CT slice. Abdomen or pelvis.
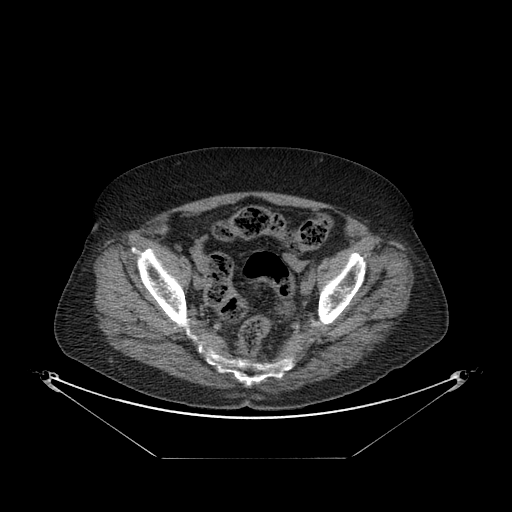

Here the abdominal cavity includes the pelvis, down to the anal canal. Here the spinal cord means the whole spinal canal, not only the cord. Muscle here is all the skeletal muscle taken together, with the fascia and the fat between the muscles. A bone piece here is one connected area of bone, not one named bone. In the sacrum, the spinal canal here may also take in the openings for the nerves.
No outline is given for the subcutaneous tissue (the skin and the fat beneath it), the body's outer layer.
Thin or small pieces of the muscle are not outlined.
{"bones":[[[132,246],[141,251],[151,248],[181,285],[190,330],[205,348],[210,347],[228,358],[253,362],[273,362],[293,356],[293,367],[281,378],[269,376],[250,387],[231,372],[217,371],[198,352],[184,328],[167,315],[144,286],[137,268],[138,256],[131,251]],[[353,252],[357,252],[361,255],[366,254],[364,257],[366,262],[366,272],[364,276],[364,280],[349,303],[338,316],[331,323],[323,324],[318,319],[318,314],[317,313],[320,291],[323,286],[329,280],[336,276],[341,271],[346,264],[350,254]]],"torso":[[[210,146],[318,150],[363,164],[391,181],[414,212],[416,232],[447,299],[449,324],[443,338],[404,367],[357,392],[282,410],[246,406],[212,409],[160,400],[119,384],[65,355],[54,336],[54,314],[92,227],[91,211],[100,192],[118,175],[139,164]]],"spinal_cord":[[[245,370],[246,370],[247,370],[248,370],[249,370],[250,371],[251,371],[252,371],[253,372],[254,372],[255,372],[256,372],[255,373],[254,373],[253,374],[252,374],[251,375],[250,375],[249,375],[248,374],[247,373],[246,372],[245,372],[245,371]]],"abdominal_cavity":[[[247,197],[279,206],[329,209],[345,219],[350,238],[345,248],[329,254],[315,269],[317,317],[285,339],[271,356],[259,359],[232,352],[223,337],[188,309],[185,294],[192,273],[190,262],[168,247],[163,238],[168,230],[166,223],[176,212],[200,213]]],"muscle":[[[241,191],[271,191],[334,205],[367,219],[406,244],[414,275],[409,305],[385,339],[362,361],[328,380],[288,392],[274,393],[251,387],[269,377],[281,379],[295,365],[293,355],[273,361],[251,360],[271,357],[285,340],[316,318],[323,325],[331,324],[350,303],[367,272],[367,254],[353,251],[340,271],[319,292],[318,265],[350,243],[346,219],[329,208],[279,205],[256,196],[200,212],[176,211],[168,217],[163,242],[175,254],[186,258],[190,265],[185,293],[151,247],[143,250],[130,247],[137,256],[135,263],[140,281],[161,309],[183,328],[209,365],[221,374],[233,374],[246,388],[220,389],[192,383],[126,356],[104,340],[93,304],[93,261],[105,241],[173,207]],[[188,310],[206,328],[218,336],[223,338],[225,340],[229,350],[232,353],[244,357],[240,357],[239,356],[228,357],[217,352],[210,346],[205,347],[204,346],[204,342],[200,339],[200,337],[191,330],[189,323],[190,318],[188,316]]]}